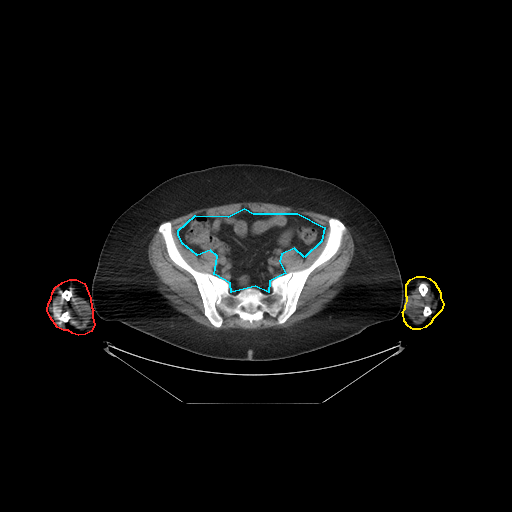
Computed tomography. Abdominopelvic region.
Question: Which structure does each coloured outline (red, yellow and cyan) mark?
Answer: red: right arm; yellow: left arm; cyan: abdominal cavity.
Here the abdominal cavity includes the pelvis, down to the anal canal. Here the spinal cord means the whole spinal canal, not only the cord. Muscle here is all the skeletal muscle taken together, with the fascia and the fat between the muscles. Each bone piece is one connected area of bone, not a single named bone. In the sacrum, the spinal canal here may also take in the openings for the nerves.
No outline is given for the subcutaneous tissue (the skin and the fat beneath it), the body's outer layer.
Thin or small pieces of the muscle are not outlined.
right arm: 69 279; 76 279; 84 283; 90 298; 91 307; 93 310; 92 311; 92 317; 94 324; 91 331; 85 334; 78 335; 72 333; 68 330; 63 330; 57 327; 50 317; 47 310; 48 303; 51 298; 52 292; 55 287; 62 282
left arm: 416 276; 424 276; 429 278; 434 282; 440 292; 440 297; 443 304; 441 310; 433 318; 430 323; 425 327; 420 329; 413 329; 408 326; 404 321; 403 313; 402 312; 405 308; 405 305; 407 301; 407 297; 406 296; 406 284; 410 279
abdominal cavity: 244 208; 253 213; 297 213; 324 227; 321 241; 304 257; 294 248; 281 254; 279 261; 285 273; 269 281; 268 292; 255 286; 231 292; 230 283; 214 274; 217 256; 210 250; 197 255; 182 243; 178 234; 178 230; 195 215; 228 216
bones 1: 331 217; 346 227; 341 244; 309 274; 295 311; 281 324; 265 312; 252 322; 223 314; 221 326; 214 326; 195 279; 173 262; 158 231; 169 221; 182 257; 195 270; 227 281; 231 293; 247 287; 268 293; 273 278; 308 267; 320 254
bones 2: 422 282; 424 282; 426 284; 426 285; 428 288; 428 289; 427 290; 427 291; 426 292; 426 293; 424 296; 422 296; 421 295; 421 294; 419 291; 419 289; 418 288; 418 287; 419 286; 419 285
bones 3: 64 312; 67 312; 68 313; 68 314; 69 315; 69 318; 68 319; 68 320; 66 322; 63 322; 62 321; 60 321; 58 319; 58 317; 59 317; 61 315; 61 314; 62 313; 63 313
bones 4: 66 290; 69 290; 71 292; 71 295; 70 296; 70 297; 69 298; 69 299; 68 300; 67 300; 66 299; 65 299; 64 298; 62 298; 62 296; 61 295; 62 294; 62 292; 63 292; 64 291; 65 291
bones 5: 426 306; 428 306; 429 307; 429 308; 431 310; 431 313; 429 315; 428 315; 427 316; 425 316; 424 315; 424 314; 423 313; 423 312; 424 311; 424 308
torso: 233 163; 262 164; 323 179; 341 187; 369 208; 390 240; 405 285; 406 301; 402 311; 393 319; 371 325; 343 341; 294 357; 270 361; 225 360; 198 355; 121 322; 100 318; 92 307; 91 286; 100 251; 114 221; 147 192; 173 176
muscle 1: 345 224; 354 240; 354 254; 338 292; 321 310; 286 328; 209 329; 171 305; 158 289; 147 254; 158 226; 169 258; 194 279; 203 313; 214 327; 222 326; 223 315; 237 315; 252 323; 265 313; 281 325; 296 311; 310 274; 339 250
muscle 2: 238 202; 273 203; 303 208; 330 216; 327 236; 321 251; 308 266; 285 272; 280 261; 282 254; 288 249; 294 249; 304 258; 322 241; 325 234; 323 225; 309 216; 297 212; 253 212; 244 207; 238 212; 228 215; 210 217; 198 213; 177 230; 178 237; 181 243; 197 256; 205 251; 212 252; 217 258; 217 263; 213 268; 213 273; 195 269; 181 254; 173 236; 172 223; 168 220; 197 209
muscle 3: 71 289; 73 289; 73 292; 77 296; 85 300; 90 307; 89 319; 86 326; 83 328; 77 328; 69 323; 63 323; 66 323; 70 318; 70 315; 67 311; 62 312; 56 319; 51 309; 55 298; 60 293; 61 298; 68 301; 72 295
muscle 4: 418 282; 421 282; 417 288; 422 297; 426 295; 429 289; 426 283; 428 284; 429 288; 432 291; 434 308; 432 311; 430 307; 426 305; 423 308; 422 312; 426 317; 423 321; 415 323; 405 311; 404 305; 406 296; 411 293; 417 286
spinal cord 1: 247 309; 248 309; 249 309; 250 309; 251 309; 252 309; 253 309; 254 310; 254 311; 253 312; 252 312; 251 312; 250 312; 249 312; 248 312; 247 312; 246 311; 246 310
spinal cord 2: 242 306; 243 306; 244 307; 244 308; 243 309; 242 309; 241 308; 241 307
spinal cord 3: 258 306; 259 306; 260 307; 260 308; 259 309; 258 309; 257 308; 257 307